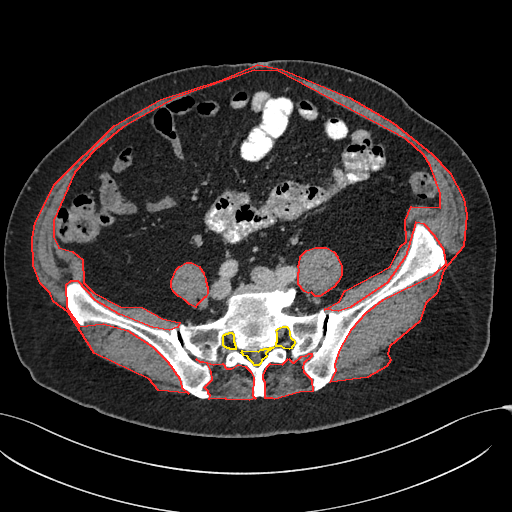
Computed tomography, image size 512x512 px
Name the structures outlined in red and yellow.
red: muscle; yellow: spinal cord.
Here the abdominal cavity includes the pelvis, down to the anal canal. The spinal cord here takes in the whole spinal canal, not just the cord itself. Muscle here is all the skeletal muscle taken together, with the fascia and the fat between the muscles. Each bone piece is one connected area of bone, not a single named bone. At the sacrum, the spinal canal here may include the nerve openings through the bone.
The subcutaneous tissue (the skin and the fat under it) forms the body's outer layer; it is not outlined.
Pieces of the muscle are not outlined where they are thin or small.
Outlined structures:
muscle 1: (257, 64) (282, 69) (349, 97) (392, 122) (431, 153) (449, 172) (463, 198) (466, 214) (463, 246) (443, 270) (436, 293) (425, 303) (419, 321) (389, 346) (387, 353) (390, 360) (386, 366) (367, 377) (330, 382) (336, 371) (335, 364) (340, 349) (352, 328) (366, 312) (383, 299) (434, 274) (446, 263) (444, 250) (434, 235) (424, 224) (415, 222) (405, 256) (387, 282) (350, 307) (338, 311) (324, 309) (339, 301) (345, 290) (390, 266) (400, 246) (406, 241) (405, 220) (411, 206) (440, 207) (440, 193) (430, 165) (423, 154) (406, 139) (278, 71) (254, 70) (176, 97) (122, 127) (94, 150) (74, 172) (53, 220) (53, 237) (58, 247) (72, 251) (82, 259) (83, 282) (93, 292) (120, 306) (142, 307) (162, 318) (179, 322) (177, 327) (169, 330) (152, 327) (119, 314) (95, 300) (78, 281) (70, 281) (65, 285) (66, 307) (79, 326) (103, 323) (127, 330) (152, 346) (167, 361) (179, 378) (181, 387) (188, 393) (158, 390) (149, 379) (94, 353) (68, 312) (53, 301) (50, 293) (40, 283) (33, 265) (32, 238) (35, 222) (55, 183) (114, 125) (160, 99) (222, 79)
muscle 2: (315, 247) (326, 247) (333, 251) (337, 256) (337, 258) (341, 265) (341, 275) (337, 282) (333, 287) (319, 296) (315, 296) (311, 292) (308, 293) (304, 291) (298, 284) (298, 272) (299, 271) (298, 265) (299, 264) (300, 256) (306, 250)
muscle 3: (309, 353) (311, 353) (311, 356) (303, 363) (302, 367) (303, 371) (311, 379) (312, 391) (299, 392) (274, 399) (272, 398) (265, 398) (265, 382) (263, 379) (263, 374) (268, 365) (270, 363) (282, 364) (288, 358) (292, 362) (294, 362) (301, 356) (306, 355)
muscle 4: (196, 359) (213, 364) (222, 363) (226, 368) (231, 368) (238, 364) (245, 366) (250, 371) (253, 377) (252, 395) (255, 398) (249, 400) (226, 399) (225, 398) (209, 399) (210, 395) (208, 393) (208, 391) (204, 387) (212, 379) (211, 371) (207, 363) (200, 362)
muscle 5: (186, 262) (191, 262) (199, 266) (199, 267) (203, 272) (203, 274) (205, 278) (205, 281) (206, 282) (206, 285) (207, 286) (207, 293) (205, 297) (204, 297) (196, 305) (195, 307) (189, 304) (185, 300) (178, 296) (173, 291) (171, 287) (171, 281) (176, 269) (179, 266)
spinal cord 1: (282, 326) (286, 326) (287, 327) (289, 331) (289, 335) (290, 337) (292, 339) (293, 339) (294, 341) (294, 343) (293, 345) (291, 347) (291, 348) (289, 349) (284, 348) (281, 346) (276, 346) (276, 342) (277, 341) (277, 332) (276, 330) (278, 328)
spinal cord 2: (270, 347) (273, 347) (269, 350) (268, 350) (265, 353) (266, 356) (261, 360) (260, 363) (258, 365) (254, 365) (253, 363) (248, 358) (248, 357) (247, 356) (243, 355) (243, 354) (241, 352) (242, 350) (258, 351) (261, 349) (263, 349) (264, 348) (269, 348)
spinal cord 3: (229, 332) (231, 332) (233, 334) (233, 341) (234, 342) (234, 344) (235, 345) (235, 349) (230, 349) (229, 348) (227, 348) (226, 347) (225, 347) (223, 345) (223, 335) (224, 334) (225, 334) (226, 333) (228, 333)
bones: (418, 222) (441, 246) (444, 265) (367, 310) (339, 349) (330, 381) (317, 391) (303, 367) (309, 352) (294, 361) (270, 362) (262, 374) (264, 397) (256, 398) (254, 377) (245, 365) (196, 358) (207, 364) (211, 377) (203, 387) (209, 398) (196, 397) (148, 342) (109, 323) (79, 325) (66, 303) (66, 285) (78, 282) (117, 314) (169, 331) (180, 323) (218, 319) (236, 288) (258, 284) (267, 290) (295, 289) (282, 309) (290, 315) (338, 312) (390, 280); inner edges: (282, 326) (286, 326) (287, 327) (289, 331) (289, 335) (290, 337) (292, 339) (293, 339) (294, 341) (294, 343) (293, 345) (291, 347) (291, 348) (289, 349) (284, 348) (281, 346) (276, 346) (276, 342) (277, 341) (277, 332) (276, 330) (278, 328), then (270, 347) (273, 347) (269, 350) (268, 350) (265, 353) (266, 356) (261, 360) (260, 363) (258, 365) (254, 365) (253, 363) (248, 358) (248, 357) (247, 356) (243, 355) (243, 354) (241, 352) (242, 350) (258, 351) (261, 349) (263, 349) (264, 348) (269, 348), then (229, 332) (231, 332) (233, 334) (233, 341) (234, 342) (234, 344) (235, 345) (235, 349) (230, 349) (229, 348) (227, 348) (226, 347) (225, 347) (223, 345) (223, 335) (224, 334) (225, 334) (226, 333) (228, 333)
torso: (274, 59) (318, 61) (371, 77) (442, 128) (468, 155) (488, 192) (496, 229) (490, 340) (481, 362) (469, 373) (387, 411) (330, 428) (262, 437) (208, 437) (150, 428) (100, 413) (35, 382) (13, 344) (3, 268) (9, 216) (33, 169) (90, 111) (137, 83) (190, 66)
abdominal cavity: (254, 71) (283, 74) (409, 142) (433, 173) (439, 207) (411, 205) (405, 241) (389, 266) (313, 313) (283, 310) (295, 288) (258, 283) (241, 283) (223, 314) (203, 323) (186, 324) (98, 295) (84, 282) (83, 259) (54, 237) (56, 213) (75, 172) (112, 135) (151, 111), around a hole outlined by (315, 247) (326, 247) (333, 251) (337, 256) (337, 258) (341, 265) (341, 275) (337, 282) (333, 287) (319, 296) (315, 296) (311, 292) (308, 293) (304, 291) (298, 284) (298, 272) (299, 271) (298, 265) (299, 264) (300, 256) (306, 250)